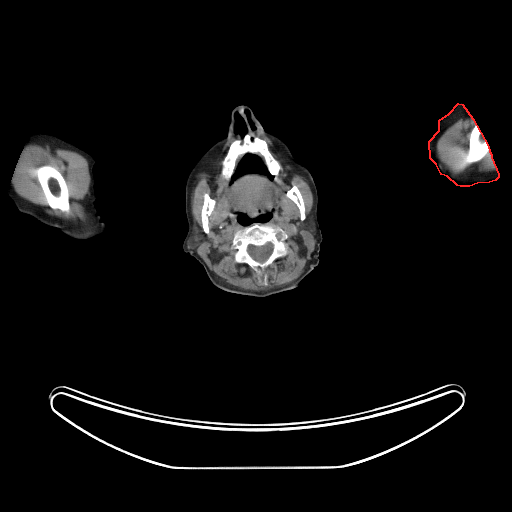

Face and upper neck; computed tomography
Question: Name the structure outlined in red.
Answer: red: left arm.
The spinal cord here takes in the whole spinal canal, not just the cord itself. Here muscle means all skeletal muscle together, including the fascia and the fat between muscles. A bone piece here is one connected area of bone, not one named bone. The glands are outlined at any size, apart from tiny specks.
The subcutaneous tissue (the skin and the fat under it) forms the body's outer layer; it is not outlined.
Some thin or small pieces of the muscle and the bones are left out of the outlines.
{"left_arm":[[[458,103],[462,104],[472,118],[488,146],[489,151],[491,154],[491,157],[498,174],[498,177],[495,180],[489,182],[477,183],[469,186],[460,186],[457,185],[447,176],[441,174],[436,164],[430,158],[429,141],[439,130],[439,120],[449,113]]],"parotid_glands":[[[193,221],[194,221],[196,225],[205,234],[205,236],[207,239],[205,241],[204,241],[199,246],[199,247],[198,247],[196,249],[193,249],[191,250],[190,249],[188,249],[187,247],[187,241],[191,234],[191,231],[192,230],[192,224],[193,223]],[[312,211],[312,213],[313,214],[313,222],[314,223],[314,226],[315,227],[315,235],[314,236],[311,233],[309,233],[305,229],[304,229],[303,228],[302,228],[302,223],[308,217],[308,215]]],"bones":[{"outer":[[256,222],[274,224],[280,227],[287,235],[284,240],[286,245],[285,255],[275,259],[264,271],[268,275],[266,284],[263,282],[263,277],[261,275],[259,281],[258,274],[248,264],[240,263],[235,260],[237,249],[232,245],[234,234],[237,231],[241,231]],"hole":[[266,243],[270,243],[272,246],[272,248],[271,249],[271,252],[270,253],[269,256],[264,261],[258,261],[257,260],[254,259],[249,254],[249,253],[248,252],[248,247],[249,246],[249,245],[253,245],[254,246],[262,246],[263,245],[264,245]]},[[246,133],[250,133],[263,139],[266,142],[269,150],[279,162],[281,168],[276,180],[269,173],[262,159],[253,153],[246,153],[241,158],[234,170],[231,181],[227,182],[221,177],[222,166],[221,164],[224,160],[224,156],[231,142],[236,138],[242,138]],[[43,165],[50,165],[55,167],[63,176],[67,185],[68,193],[69,194],[69,204],[70,205],[70,210],[68,213],[63,212],[59,209],[53,209],[46,203],[43,190],[41,187],[40,183],[38,181],[38,179],[35,172],[35,170],[37,168]],[[474,124],[478,127],[481,133],[481,135],[485,140],[488,146],[489,150],[480,160],[474,163],[470,163],[469,162],[465,162],[463,161],[463,160],[464,159],[464,157],[466,155],[466,151],[468,149],[468,146],[469,145],[469,136],[470,135],[470,132]],[[204,193],[207,193],[210,196],[210,197],[215,201],[215,204],[214,205],[214,207],[211,213],[208,216],[208,226],[209,227],[209,233],[208,234],[204,232],[202,228],[202,224],[201,223],[201,208],[203,204],[203,195]],[[293,185],[296,185],[297,186],[302,196],[302,198],[304,202],[304,205],[305,206],[305,219],[304,220],[301,220],[300,219],[300,212],[296,204],[286,195],[286,193],[287,191],[289,189],[290,189]]],"spinal_cord":[[[266,243],[270,243],[272,246],[272,248],[271,249],[271,252],[270,253],[269,256],[264,261],[258,261],[257,260],[254,259],[249,254],[249,253],[248,252],[248,247],[249,246],[249,245],[253,245],[254,246],[262,246],[263,245],[264,245]]],"head_and_neck":[{"outer":[[238,105],[250,107],[263,128],[287,145],[293,156],[308,169],[317,189],[317,219],[322,234],[319,263],[295,288],[266,297],[236,294],[217,287],[208,278],[201,264],[185,252],[182,247],[188,231],[185,210],[187,177],[200,156],[226,136],[231,111]],"holes":[[[246,154],[253,154],[257,156],[259,158],[260,158],[263,162],[268,173],[272,177],[271,178],[267,175],[264,175],[261,173],[245,173],[242,175],[240,175],[236,177],[232,180],[233,175],[235,172],[235,170],[238,164],[240,162],[242,158]],[[267,213],[270,213],[271,214],[271,217],[270,217],[269,219],[267,220],[267,221],[262,221],[261,222],[257,222],[256,221],[255,222],[251,223],[249,225],[244,225],[238,220],[238,214],[243,214],[247,216],[249,218],[253,219],[260,215],[263,215]],[[237,112],[238,112],[240,114],[240,115],[242,117],[242,118],[244,121],[244,124],[246,127],[246,132],[243,135],[242,135],[240,133],[238,133],[237,132],[236,132],[234,130],[234,127],[235,126],[235,113],[236,113]],[[244,110],[247,110],[249,112],[249,113],[250,114],[250,119],[252,121],[252,122],[253,123],[253,124],[254,125],[254,128],[251,128],[251,126],[250,125],[250,124],[249,123],[249,121],[247,119],[247,117],[245,115],[245,114],[244,113]]]}],"right_arm":[[[33,133],[48,133],[55,135],[81,148],[94,158],[93,176],[96,196],[95,206],[101,219],[106,225],[105,231],[98,237],[94,239],[76,239],[70,237],[56,227],[46,225],[32,216],[20,212],[8,195],[10,182],[20,154],[29,136]]],"muscle":[{"outer":[[259,133],[272,142],[309,185],[313,201],[306,218],[306,206],[298,186],[293,184],[285,195],[297,207],[299,219],[303,221],[301,228],[315,238],[315,246],[311,259],[297,278],[272,288],[249,290],[226,283],[209,269],[196,251],[208,239],[209,216],[216,201],[207,192],[202,195],[202,230],[192,214],[191,196],[197,174],[231,138],[220,164],[223,180],[229,183],[245,174],[261,174],[276,181],[281,164]],"hole":[[267,213],[271,217],[261,223],[280,227],[287,237],[284,240],[285,255],[275,259],[264,271],[268,275],[265,284],[263,277],[260,276],[260,282],[258,274],[248,264],[235,260],[237,249],[232,241],[234,234],[247,226],[238,220],[238,214],[253,219]]},{"outer":[[30,144],[38,144],[41,146],[48,144],[51,147],[71,150],[79,153],[87,160],[90,177],[90,206],[89,211],[86,214],[87,218],[85,221],[79,219],[69,220],[50,215],[44,208],[23,198],[10,187],[10,182],[20,154],[23,148],[26,145]],"hole":[[43,165],[50,165],[55,167],[63,176],[67,185],[68,193],[69,194],[69,204],[70,205],[70,210],[68,213],[63,212],[59,209],[53,209],[46,203],[43,190],[41,187],[40,183],[38,181],[38,179],[35,172],[35,170],[37,168]]},[[463,117],[471,117],[474,123],[469,132],[468,145],[462,161],[465,163],[474,164],[480,161],[489,151],[496,169],[492,169],[489,171],[477,171],[476,172],[462,171],[458,173],[454,173],[439,160],[436,152],[436,144],[438,140],[448,127],[459,118]]]}